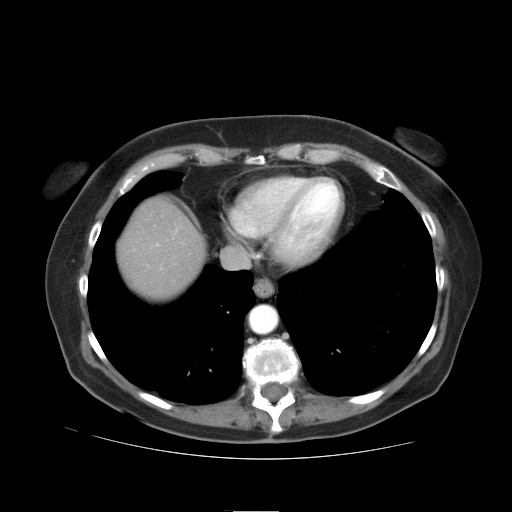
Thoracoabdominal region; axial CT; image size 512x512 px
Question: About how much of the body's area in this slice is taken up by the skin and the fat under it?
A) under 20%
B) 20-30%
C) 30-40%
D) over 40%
Answer: B) 20-30%
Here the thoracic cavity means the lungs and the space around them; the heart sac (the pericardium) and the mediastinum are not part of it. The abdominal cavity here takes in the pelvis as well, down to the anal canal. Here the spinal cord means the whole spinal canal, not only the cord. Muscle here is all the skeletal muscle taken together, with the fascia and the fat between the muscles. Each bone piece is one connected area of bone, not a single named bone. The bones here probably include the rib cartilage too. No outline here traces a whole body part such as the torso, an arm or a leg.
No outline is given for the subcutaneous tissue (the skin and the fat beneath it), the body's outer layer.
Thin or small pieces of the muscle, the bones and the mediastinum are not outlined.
Outlines:
thoracic cavity 1: 389 188; 400 192; 411 203; 431 238; 437 291; 433 319; 415 355; 391 379; 376 389; 357 395; 322 393; 310 385; 303 375; 300 375; 301 360; 277 308; 279 281; 283 277; 317 262; 348 235; 368 213; 379 210; 384 202; 383 196
thoracic cavity 2: 164 169; 181 172; 180 184; 134 206; 115 238; 114 262; 127 291; 150 306; 175 302; 208 264; 252 273; 255 302; 242 325; 245 380; 232 395; 211 403; 167 400; 129 381; 108 359; 90 321; 88 274; 103 222; 119 197; 147 174
muscle 1: 302 141; 343 144; 382 164; 364 158; 358 166; 341 159; 343 153; 339 149; 304 148; 300 142; 295 142; 277 149; 274 154; 278 158; 267 163; 267 158; 263 153; 246 154; 242 162; 223 162; 228 160; 225 155; 213 149; 199 146; 195 147; 191 153; 166 152; 137 165; 125 175; 117 187; 118 197; 103 221; 98 219; 91 226; 87 238; 87 246; 92 250; 89 271; 88 273; 81 273; 77 280; 78 291; 87 303; 91 329; 87 331; 86 337; 91 348; 105 364; 110 363; 129 382; 143 390; 137 391; 140 398; 162 409; 171 410; 175 406; 168 401; 190 405; 211 404; 229 398; 238 390; 237 397; 240 398; 249 388; 252 395; 251 405; 265 411; 270 416; 272 421; 269 429; 273 433; 278 433; 270 434; 259 429; 243 430; 201 425; 169 416; 137 400; 116 385; 99 369; 89 365; 83 359; 79 346; 80 323; 75 277; 81 261; 85 235; 94 220; 96 212; 124 172; 144 155; 172 145; 204 143; 214 146; 257 149; 263 146
muscle 2: 398 178; 436 215; 446 237; 451 291; 442 346; 419 372; 375 407; 337 421; 307 426; 294 424; 282 431; 279 417; 296 401; 292 385; 301 375; 322 394; 348 396; 351 404; 368 404; 386 392; 382 385; 428 349; 436 334; 438 324; 433 320; 437 292; 443 289; 445 281; 445 270; 435 263; 433 253; 432 239; 437 236; 437 230; 430 212; 425 208; 418 212; 401 192; 403 186
bones 1: 266 338; 279 338; 292 345; 301 364; 299 377; 291 385; 295 401; 284 408; 278 417; 282 428; 280 432; 271 431; 273 421; 271 416; 265 410; 252 405; 253 395; 249 387; 242 396; 238 397; 239 388; 246 380; 242 366; 244 350 with a hole at 270 382; 276 382; 277 383; 278 383; 281 385; 283 385; 285 388; 285 393; 282 396; 281 396; 276 401; 271 401; 269 399; 268 399; 266 397; 265 397; 262 394; 262 392; 261 391; 262 390; 262 388; 267 383; 269 383
bones 2: 199 147; 203 147; 218 152; 225 156; 227 160; 224 160; 218 164; 202 165; 196 159; 190 157; 178 166; 157 169; 147 173; 128 191; 118 196; 118 187; 123 179; 130 171; 137 166; 147 162; 156 156; 166 153; 191 154; 195 148
bones 3: 295 143; 300 143; 304 149; 310 148; 311 149; 335 149; 336 150; 339 150; 342 153; 342 155; 339 160; 332 161; 328 163; 322 163; 321 164; 320 163; 310 163; 303 160; 281 159; 276 156; 275 154; 276 151; 282 147; 285 147
bones 4: 364 159; 368 159; 374 163; 376 163; 380 165; 383 165; 388 168; 396 176; 400 182; 402 186; 402 190; 401 191; 399 191; 394 188; 388 187; 374 180; 373 178; 372 178; 363 169; 362 169; 361 167; 360 167; 360 163; 362 160
bones 5: 379 388; 385 388; 385 392; 378 398; 377 398; 368 403; 365 403; 364 404; 358 404; 357 403; 351 403; 348 401; 348 398; 351 396; 357 396; 358 395; 361 395; 362 394; 365 394; 366 393; 371 392; 374 390; 376 390
bones 6: 138 391; 145 391; 151 394; 153 394; 171 403; 174 406; 174 407; 171 409; 165 409; 157 405; 155 405; 151 403; 149 401; 147 401; 143 399; 141 397; 140 397; 138 395
bones 7: 433 321; 436 321; 436 323; 437 324; 437 327; 436 328; 436 331; 435 332; 435 334; 429 346; 427 348; 427 349; 419 357; 417 357; 416 356; 416 354; 420 346; 422 344; 424 339; 426 337; 430 329; 430 327
bones 8: 90 330; 92 330; 92 331; 93 332; 97 341; 99 343; 103 352; 105 354; 107 359; 109 361; 109 362; 108 363; 105 363; 97 355; 97 354; 92 348; 92 347; 88 340; 88 338; 87 337; 87 333; 88 332; 88 331; 89 331
bones 9: 421 209; 425 209; 427 211; 428 211; 432 218; 432 220; 434 223; 434 225; 435 226; 435 229; 436 230; 436 236; 433 238; 432 238; 430 236; 430 234; 429 233; 429 232; 428 231; 428 230; 427 229; 427 228; 419 213; 419 212
bones 10: 98 220; 99 220; 102 222; 102 225; 101 226; 101 229; 99 232; 98 237; 94 244; 94 246; 93 247; 93 248; 92 249; 90 249; 88 246; 88 238; 89 237; 89 234; 90 233; 90 231; 92 228; 92 226; 94 224; 94 223
bones 11: 436 263; 438 263; 443 268; 443 269; 444 270; 444 281; 443 282; 443 287; 442 288; 442 289; 440 291; 438 291; 437 290; 437 285; 436 284; 436 275; 435 274; 435 264
bones 12: 83 273; 85 273; 86 274; 87 274; 87 295; 86 296; 86 298; 84 298; 81 295; 81 294; 80 293; 80 292; 79 291; 79 285; 78 284; 78 280; 79 279; 79 277; 80 276; 80 275; 81 274; 82 274
abdominal cavity: 172 189; 197 208; 199 217; 203 222; 205 230; 209 234; 211 249; 215 253; 213 256; 214 263; 208 263; 191 287; 175 301; 165 305; 150 305; 130 293; 124 285; 115 262; 114 244; 132 210; 139 202; 158 192
spinal cord: 270 382; 276 382; 277 383; 278 383; 281 385; 283 385; 285 388; 285 393; 282 396; 281 396; 276 401; 271 401; 269 399; 268 399; 266 397; 265 397; 262 394; 262 392; 261 391; 262 390; 262 388; 267 383; 269 383
mediastinum 1: 232 162; 257 165; 222 184; 217 193; 220 225; 225 238; 263 271; 284 276; 278 281; 276 308; 292 344; 266 337; 244 349; 244 318; 256 302; 253 273; 224 269; 214 262; 216 253; 198 208; 173 189; 181 184; 184 174; 166 169
mediastinum 2: 276 159; 303 161; 310 164; 321 165; 340 160; 350 162; 361 168; 374 181; 388 188; 382 196; 383 202; 379 209; 368 212; 359 223; 338 242; 354 224; 354 192; 352 185; 346 176; 337 169; 318 165; 282 164; 258 166; 265 165
pericardium: 282 165; 318 166; 337 170; 345 176; 350 183; 353 192; 353 224; 349 230; 342 235; 335 245; 317 261; 297 271; 293 271; 288 275; 268 273; 257 265; 243 249; 229 241; 224 234; 218 210; 218 193; 226 181; 255 166; 264 167